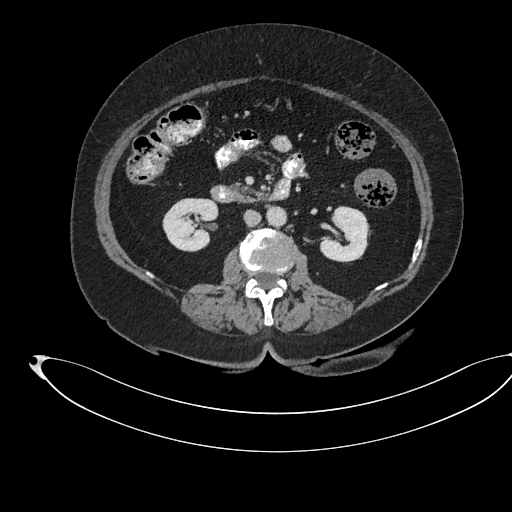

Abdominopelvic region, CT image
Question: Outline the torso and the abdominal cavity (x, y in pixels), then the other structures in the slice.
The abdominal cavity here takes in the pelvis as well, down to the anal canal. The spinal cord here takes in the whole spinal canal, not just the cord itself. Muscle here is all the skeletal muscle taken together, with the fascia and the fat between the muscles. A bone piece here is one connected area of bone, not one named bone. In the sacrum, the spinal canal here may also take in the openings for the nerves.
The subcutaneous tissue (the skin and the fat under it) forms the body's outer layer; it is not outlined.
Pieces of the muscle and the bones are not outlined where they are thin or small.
Answer: torso: 254 22; 320 27; 376 48; 418 81; 451 134; 463 184; 460 244; 447 277; 421 308; 355 351; 415 326; 377 366; 313 376; 266 353; 250 370; 225 373; 166 352; 155 355; 112 331; 75 279; 73 180; 81 144; 104 101; 169 44
abdominal cavity: 253 80; 283 82; 340 101; 377 123; 399 146; 411 169; 420 221; 409 263; 396 277; 355 297; 336 293; 313 282; 308 258; 291 236; 268 226; 251 229; 226 254; 220 283; 187 288; 156 276; 122 247; 110 193; 131 140; 174 104
muscle: 263 74; 310 83; 337 91; 348 95; 367 108; 378 112; 394 124; 411 141; 422 156; 429 176; 434 217; 426 254; 415 277; 403 289; 360 310; 340 324; 317 334; 296 335; 293 333; 284 333; 273 328; 254 335; 228 336; 206 330; 194 324; 171 299; 112 261; 106 254; 97 235; 95 211; 93 206; 93 191; 96 176; 105 154; 126 127; 145 113; 174 96; 201 85; 220 80, around a hole outlined by 253 80; 299 86; 340 101; 377 123; 395 141; 409 163; 419 204; 417 237; 422 239; 410 269; 407 267; 384 288; 355 297; 314 283; 309 275; 308 258; 296 246; 293 265; 283 274; 287 289; 272 304; 270 326; 263 322; 260 300; 244 295; 248 274; 240 260; 238 245; 223 259; 220 283; 201 282; 181 288; 146 274; 146 269; 122 247; 110 215; 114 170; 131 140; 144 126; 174 104
spinal cord: 259 271; 260 272; 269 272; 270 273; 275 273; 276 274; 277 274; 279 276; 279 277; 276 280; 276 281; 275 282; 276 283; 276 285; 267 290; 266 290; 264 288; 259 286; 258 285; 258 281; 255 278; 255 274; 257 272; 258 272
bones 1: 264 227; 280 231; 291 237; 295 245; 292 256; 293 265; 283 274; 287 289; 282 296; 273 301; 271 308; 273 324; 270 326; 266 326; 263 322; 264 310; 260 300; 248 298; 244 295; 248 274; 239 257; 239 243; 246 234; 251 230 with a hole at 259 271; 260 272; 269 272; 270 273; 275 273; 276 274; 277 274; 279 276; 279 277; 276 280; 276 281; 275 282; 276 283; 276 285; 267 290; 266 290; 264 288; 259 286; 258 285; 258 281; 255 278; 255 274; 257 272; 258 272
bones 2: 419 237; 420 237; 422 239; 421 248; 420 249; 419 254; 417 257; 417 259; 415 263; 413 265; 413 266; 410 269; 409 269; 408 268; 408 266; 411 260; 411 257; 412 256; 412 252; 414 248; 414 245; 416 242; 416 240
bones 3: 386 281; 389 281; 389 284; 387 286; 386 286; 384 288; 383 288; 380 290; 378 290; 377 291; 375 291; 374 292; 373 292; 372 293; 371 293; 371 291; 375 287; 376 287; 378 285; 379 285; 380 284; 381 284; 382 283; 383 283